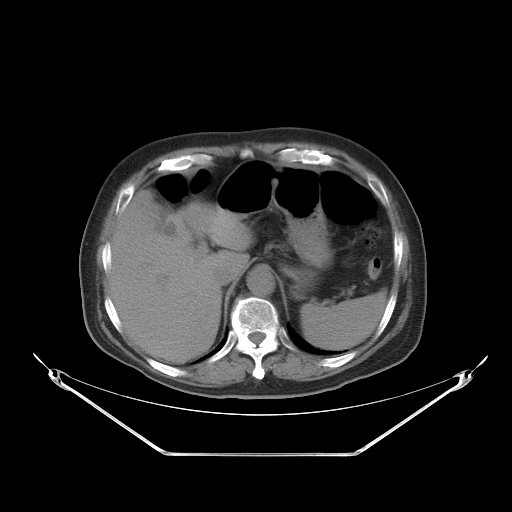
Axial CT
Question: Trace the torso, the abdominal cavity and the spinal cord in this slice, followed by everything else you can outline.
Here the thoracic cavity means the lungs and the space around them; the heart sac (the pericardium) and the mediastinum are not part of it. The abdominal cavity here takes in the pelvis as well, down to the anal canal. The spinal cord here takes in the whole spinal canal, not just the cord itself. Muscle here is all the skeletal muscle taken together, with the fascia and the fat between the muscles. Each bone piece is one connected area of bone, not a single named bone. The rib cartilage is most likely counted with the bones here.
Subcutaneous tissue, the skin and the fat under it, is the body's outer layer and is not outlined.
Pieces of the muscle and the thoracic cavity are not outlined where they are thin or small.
Answer: Outlines:
torso: 272 126; 311 127; 351 138; 377 154; 398 178; 420 221; 426 251; 426 314; 416 348; 401 363; 337 389; 279 399; 213 398; 182 392; 146 377; 102 351; 84 324; 78 256; 87 218; 109 171; 134 149; 162 137; 194 131; 235 131
abdominal cavity: 255 154; 347 170; 385 208; 393 234; 394 273; 374 333; 349 351; 310 345; 287 322; 271 265; 256 258; 235 281; 226 304; 230 328; 213 349; 181 367; 146 355; 124 333; 110 297; 110 242; 120 214; 153 176; 222 157; 252 159
spinal cord: 254 332; 260 332; 261 333; 263 333; 265 335; 265 336; 264 337; 264 338; 258 344; 256 344; 255 343; 254 343; 251 340; 250 340; 249 339; 249 338; 248 337; 248 336; 249 335; 249 334; 250 334; 251 333; 253 333
bones 1: 250 296; 266 299; 273 304; 278 322; 285 328; 295 346; 295 350; 292 350; 280 343; 275 351; 265 354; 261 359; 264 370; 261 379; 252 375; 255 366; 252 357; 234 348; 219 359; 207 362; 227 339; 231 328; 230 312; 235 299; inner edge: 254 332; 260 332; 261 333; 263 333; 265 335; 265 336; 264 337; 264 338; 258 344; 256 344; 255 343; 254 343; 251 340; 250 340; 249 339; 249 338; 248 337; 248 336; 249 335; 249 334; 250 334; 251 333; 253 333
bones 2: 290 147; 293 147; 297 149; 316 149; 321 151; 323 153; 328 154; 332 157; 336 158; 337 159; 337 161; 332 165; 308 164; 307 163; 302 163; 301 162; 287 162; 286 161; 282 161; 278 159; 277 152; 282 149; 289 148
bones 3: 196 153; 204 153; 205 154; 211 155; 213 157; 213 159; 210 163; 208 163; 207 164; 194 164; 186 169; 183 169; 179 171; 165 171; 164 172; 157 172; 155 170; 155 169; 164 159; 173 158; 174 157; 177 157; 180 155; 195 154
bones 4: 367 174; 371 174; 375 176; 381 182; 386 192; 386 194; 387 195; 387 197; 389 201; 389 204; 388 205; 386 205; 384 206; 382 204; 380 200; 375 195; 375 194; 369 187; 367 183; 367 180; 366 179; 366 176
bones 5: 393 293; 396 293; 397 297; 396 298; 396 302; 395 303; 395 306; 392 312; 392 314; 383 331; 377 337; 375 337; 374 336; 374 334; 382 318; 382 316; 384 313; 384 310; 386 307; 386 305; 388 302; 388 300; 390 297; 390 295
bones 6: 353 350; 355 350; 356 351; 357 353; 356 355; 349 361; 344 363; 342 365; 340 365; 336 367; 330 367; 329 366; 322 366; 318 364; 318 362; 321 359; 325 357; 334 357; 335 356; 338 356; 346 352; 349 352
bones 7: 130 183; 134 184; 134 186; 135 187; 135 189; 133 192; 133 194; 131 197; 131 199; 129 201; 123 211; 122 211; 121 213; 116 214; 115 210; 116 209; 116 206; 117 205; 117 200; 118 199; 119 192; 122 188; 125 187
bones 8: 147 357; 149 357; 158 362; 160 362; 170 366; 173 366; 174 367; 177 367; 180 369; 182 369; 186 371; 186 374; 185 375; 180 375; 179 376; 171 376; 168 374; 166 374; 154 368; 149 363; 148 363; 146 360; 146 358
bones 9: 107 296; 108 296; 111 299; 111 300; 113 303; 113 305; 116 310; 117 315; 121 322; 121 328; 122 329; 122 332; 121 333; 120 333; 115 328; 115 327; 111 322; 111 321; 106 312; 106 310; 105 309; 105 307; 104 306; 104 298
bones 10: 396 230; 401 233; 401 236; 402 237; 402 241; 403 242; 403 246; 402 247; 402 256; 401 257; 401 261; 400 262; 400 264; 399 265; 398 269; 396 271; 395 271; 395 266; 394 265; 394 251; 393 250; 393 239; 394 238; 394 232
bones 11: 106 242; 109 242; 109 243; 110 244; 110 249; 111 250; 111 265; 110 266; 110 268; 108 271; 108 273; 106 273; 106 272; 105 271; 105 270; 103 267; 103 263; 102 262; 102 248; 103 247; 103 246; 104 245; 104 244
bones 12: 246 146; 247 147; 248 147; 249 148; 250 148; 252 150; 252 151; 254 154; 254 157; 253 157; 252 158; 251 157; 246 157; 245 158; 241 158; 239 156; 239 154; 240 153; 240 152; 241 151; 241 150; 244 147; 245 147
mediastinum: 256 259; 261 259; 267 262; 279 282; 286 315; 286 327; 282 326; 279 322; 277 309; 274 304; 263 297; 254 295; 244 297; 238 296; 234 299; 231 309; 229 310; 227 308; 228 300; 234 289; 236 281; 242 272
thoracic cavity 1: 288 324; 291 327; 293 331; 302 340; 314 348; 316 348; 322 351; 327 351; 328 352; 345 352; 338 355; 335 355; 334 356; 325 356; 324 355; 310 353; 307 351; 305 351; 295 345; 295 344; 291 340; 286 329; 288 326
thoracic cavity 2: 226 332; 227 332; 226 339; 224 343; 222 345; 222 346; 218 350; 217 350; 206 359; 204 359; 199 362; 196 362; 194 363; 194 362; 195 362; 198 359; 201 358; 203 356; 204 356; 206 354; 209 353; 212 350; 213 350; 223 339
muscle: 245 141; 301 141; 327 145; 344 151; 379 177; 398 202; 408 238; 412 290; 408 316; 396 335; 361 362; 338 373; 309 381; 265 376; 262 359; 275 352; 280 344; 292 351; 296 346; 310 354; 324 356; 317 364; 336 368; 353 359; 358 353; 356 348; 384 331; 397 302; 398 295; 391 290; 404 246; 402 233; 396 229; 393 233; 392 230; 385 207; 390 204; 387 192; 375 175; 367 173; 366 183; 347 169; 333 165; 338 159; 316 148; 285 147; 276 152; 277 158; 256 154; 246 145; 237 155; 215 159; 204 152; 180 154; 164 158; 154 169; 159 173; 136 189; 130 182; 118 192; 114 212; 119 217; 110 241; 101 248; 101 262; 108 274; 109 288; 109 296; 103 298; 105 312; 114 328; 120 334; 123 332; 147 356; 147 363; 166 375; 185 376; 187 371; 180 368; 204 360; 213 363; 234 349; 251 357; 254 362; 251 375; 257 380; 203 387; 157 375; 111 342; 97 319; 96 251; 104 218; 121 184; 156 157; 186 147; 222 146